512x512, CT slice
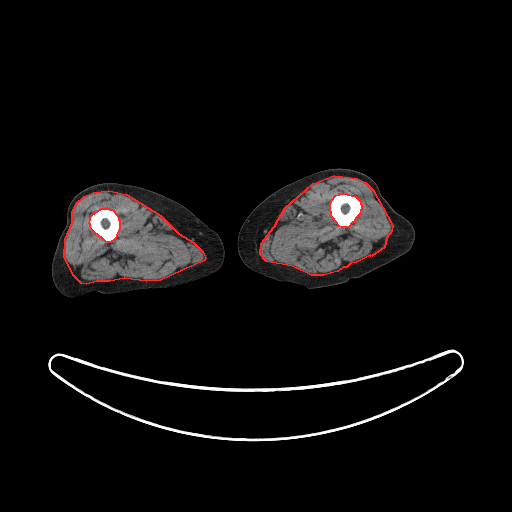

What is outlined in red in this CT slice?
red: muscle.
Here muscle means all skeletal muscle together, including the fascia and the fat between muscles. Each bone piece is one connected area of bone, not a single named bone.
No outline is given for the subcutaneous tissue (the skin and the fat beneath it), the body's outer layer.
{"muscle":[{"outer":[[108,190],[126,194],[160,215],[178,233],[193,242],[202,251],[205,257],[204,260],[160,280],[146,281],[124,278],[109,281],[96,281],[86,284],[81,283],[74,276],[64,257],[65,239],[72,222],[72,211],[77,202],[84,196],[93,192]],"hole":[[101,208],[108,208],[109,209],[112,209],[117,215],[118,219],[119,220],[119,228],[116,234],[116,236],[115,238],[110,242],[107,242],[105,241],[101,237],[100,237],[97,234],[96,234],[92,230],[90,226],[90,224],[89,223],[91,215]]},{"outer":[[334,175],[357,178],[365,182],[372,189],[392,225],[391,231],[386,238],[384,247],[371,256],[370,255],[356,262],[350,263],[346,267],[343,267],[337,271],[323,275],[311,275],[292,266],[266,261],[260,254],[261,243],[274,226],[285,207],[313,183]],"hole":[[340,193],[346,193],[347,194],[355,196],[360,201],[360,203],[361,204],[361,209],[360,210],[359,214],[356,217],[353,222],[352,222],[348,227],[341,227],[339,226],[333,218],[331,214],[331,212],[330,211],[330,203],[332,199],[335,195],[339,194]]}],"right_leg":[[[102,182],[118,182],[140,186],[184,205],[212,228],[221,238],[225,251],[224,261],[221,267],[199,280],[175,287],[140,289],[110,294],[94,291],[78,297],[67,297],[60,293],[52,280],[51,263],[58,239],[66,223],[68,205],[78,192],[88,186]]],"left_leg":[[[338,167],[360,171],[375,181],[382,196],[412,224],[415,230],[415,240],[411,249],[404,255],[362,277],[315,289],[309,289],[303,285],[287,281],[276,281],[248,268],[238,254],[237,237],[241,225],[249,213],[261,201],[282,186],[314,172]]],"bones":[[[340,193],[346,193],[347,194],[355,196],[360,201],[360,203],[361,204],[361,209],[360,210],[359,214],[356,217],[353,222],[352,222],[348,227],[341,227],[339,226],[333,218],[331,214],[331,212],[330,211],[330,203],[332,199],[335,195],[339,194]],[[101,208],[108,208],[109,209],[112,209],[117,215],[118,219],[119,220],[119,228],[116,234],[116,236],[115,238],[110,242],[107,242],[105,241],[101,237],[100,237],[97,234],[96,234],[92,230],[90,226],[90,224],[89,223],[91,215]]]}